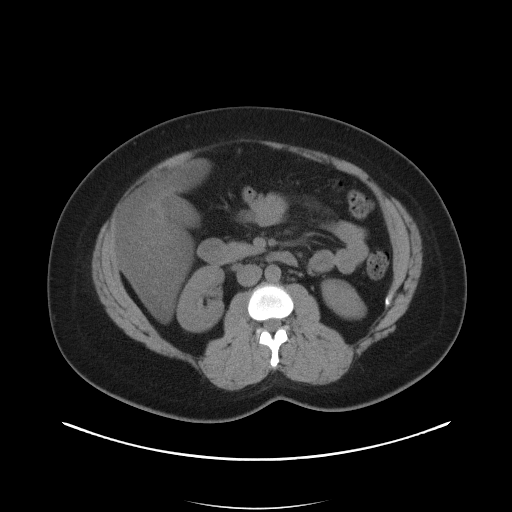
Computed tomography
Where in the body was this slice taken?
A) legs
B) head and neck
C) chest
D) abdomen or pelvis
Answer: D) abdomen or pelvis
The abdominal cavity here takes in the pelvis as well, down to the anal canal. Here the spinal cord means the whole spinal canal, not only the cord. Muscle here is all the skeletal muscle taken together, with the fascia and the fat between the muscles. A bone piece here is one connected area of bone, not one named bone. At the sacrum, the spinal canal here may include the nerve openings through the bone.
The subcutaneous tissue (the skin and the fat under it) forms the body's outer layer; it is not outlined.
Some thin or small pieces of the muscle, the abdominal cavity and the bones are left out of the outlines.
{"bones":[{"outer":[[265,283],[281,285],[288,292],[293,301],[293,309],[285,319],[285,322],[289,327],[287,330],[288,339],[282,343],[278,349],[279,361],[275,368],[270,365],[270,348],[258,342],[255,332],[259,323],[249,315],[247,310],[248,300],[252,290],[256,286]],"hole":[[271,318],[274,318],[275,319],[279,319],[281,321],[281,325],[274,332],[270,332],[269,331],[268,331],[266,329],[265,329],[263,327],[263,322],[264,321],[265,321],[266,320],[267,320],[268,319],[270,319]]}],"spinal_cord":[[[271,318],[274,318],[275,319],[279,319],[281,321],[281,325],[274,332],[270,332],[269,331],[268,331],[266,329],[265,329],[263,327],[263,322],[264,321],[265,321],[266,320],[267,320],[268,319],[270,319]]],"abdominal_cavity":[[[233,143],[261,144],[330,164],[357,177],[376,197],[393,252],[392,279],[381,313],[360,337],[347,341],[324,324],[317,300],[302,284],[285,288],[265,282],[233,295],[223,317],[223,334],[194,355],[162,337],[126,290],[113,249],[126,201],[170,167]]],"muscle":[{"outer":[[239,138],[262,139],[299,146],[335,156],[358,166],[386,193],[393,196],[403,205],[419,230],[422,244],[421,273],[406,311],[395,322],[394,331],[371,344],[353,361],[347,372],[330,383],[313,385],[295,381],[275,370],[259,382],[249,384],[238,390],[226,390],[217,387],[188,362],[157,353],[142,342],[127,335],[107,314],[97,295],[91,274],[92,253],[100,228],[110,217],[125,191],[154,164],[168,157],[183,151]],"hole":[[233,143],[330,164],[376,197],[393,252],[392,297],[360,337],[347,341],[324,324],[317,300],[293,282],[285,286],[293,309],[275,368],[270,348],[258,342],[248,290],[231,298],[223,334],[194,355],[162,337],[126,290],[113,249],[126,201],[170,167]]}],"torso":[[[235,105],[293,108],[353,124],[407,156],[438,191],[464,254],[467,300],[454,343],[417,382],[347,411],[320,411],[276,400],[239,419],[198,423],[120,401],[84,380],[62,356],[49,322],[46,276],[53,231],[73,190],[96,163],[137,133],[182,114]]]}